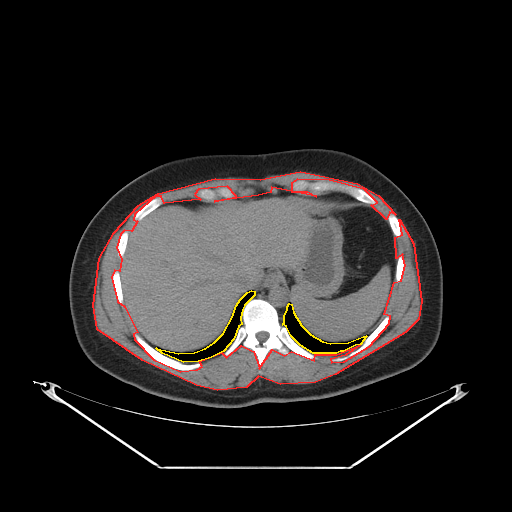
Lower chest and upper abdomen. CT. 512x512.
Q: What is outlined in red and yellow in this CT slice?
A: red: muscle; yellow: thoracic cavity.
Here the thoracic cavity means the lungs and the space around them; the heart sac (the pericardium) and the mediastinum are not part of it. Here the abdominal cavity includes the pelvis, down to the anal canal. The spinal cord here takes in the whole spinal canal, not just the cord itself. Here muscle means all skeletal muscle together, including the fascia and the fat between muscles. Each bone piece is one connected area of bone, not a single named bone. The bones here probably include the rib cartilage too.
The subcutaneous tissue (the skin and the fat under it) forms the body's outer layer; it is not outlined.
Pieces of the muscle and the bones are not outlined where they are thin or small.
{"muscle":[[[300,171],[357,183],[378,195],[395,214],[389,212],[386,219],[371,205],[377,202],[364,189],[329,180],[297,179],[291,183],[291,191],[307,191],[316,196],[271,187],[270,192],[258,195],[214,201],[236,196],[227,186],[198,189],[194,194],[200,199],[164,203],[161,196],[155,196],[134,214],[133,219],[137,221],[131,231],[124,230],[120,234],[116,247],[121,259],[119,271],[114,270],[111,277],[117,301],[124,306],[137,332],[133,334],[134,339],[153,359],[180,371],[197,369],[202,366],[199,361],[221,352],[226,357],[241,345],[253,351],[259,368],[272,349],[284,355],[291,351],[314,360],[315,354],[336,354],[359,345],[345,355],[330,359],[331,362],[344,361],[369,346],[389,323],[390,316],[384,314],[394,282],[401,280],[405,265],[402,254],[396,258],[395,237],[402,234],[399,219],[413,243],[421,301],[418,319],[405,332],[335,374],[315,382],[280,384],[258,376],[246,387],[217,390],[196,385],[142,360],[97,329],[93,305],[99,258],[114,232],[138,205],[158,193],[215,178],[260,179]]],"thoracic_cavity":[[[251,290],[254,291],[254,295],[244,305],[242,309],[240,318],[241,324],[238,326],[233,339],[223,351],[211,357],[198,361],[183,362],[162,353],[156,348],[178,353],[194,352],[205,348],[214,342],[223,333],[232,317],[236,305],[240,299],[247,292]],[[289,303],[291,304],[293,312],[301,325],[310,334],[322,341],[330,343],[348,342],[363,336],[366,336],[360,344],[355,345],[343,351],[340,351],[336,353],[313,353],[300,345],[291,336],[286,326],[282,324],[284,323],[284,316],[287,309],[287,306]]],"mediastinum":[[[266,270],[272,270],[277,272],[282,278],[285,284],[285,288],[287,290],[289,302],[286,306],[286,309],[283,316],[283,323],[281,323],[280,321],[278,311],[271,303],[265,299],[253,297],[255,295],[255,291],[257,286],[260,282],[261,277],[263,273]],[[325,192],[339,192],[340,193],[343,193],[344,194],[346,194],[350,196],[352,198],[357,200],[356,201],[349,201],[348,202],[334,202],[333,201],[327,201],[321,198],[319,198],[317,196],[318,194],[321,194]]],"torso":[[[306,147],[342,150],[365,160],[393,181],[424,217],[438,248],[443,275],[442,325],[431,352],[405,372],[338,396],[231,409],[198,406],[151,395],[97,368],[77,342],[69,308],[68,283],[79,239],[103,204],[134,178],[171,159],[194,154],[264,153]]],"abdominal_cavity":[[[276,191],[334,203],[359,201],[387,220],[395,242],[394,281],[375,328],[348,341],[314,336],[296,316],[283,278],[266,269],[255,290],[239,299],[222,333],[205,347],[178,352],[146,341],[128,316],[120,277],[128,236],[136,223],[169,202],[229,201]]],"bones":[{"outer":[[253,298],[262,299],[271,304],[277,311],[280,323],[285,326],[290,336],[304,349],[316,355],[316,358],[307,359],[291,350],[288,354],[284,354],[272,348],[259,367],[254,351],[241,344],[228,355],[223,356],[223,352],[242,324],[241,318],[245,305]],"hole":[[261,331],[264,331],[265,332],[267,332],[268,333],[268,337],[264,341],[263,341],[262,342],[260,342],[257,339],[257,338],[256,337],[256,334],[258,332],[260,332]]},[[297,180],[306,180],[310,182],[329,181],[349,184],[364,190],[373,197],[376,202],[375,204],[370,205],[364,203],[346,193],[339,191],[325,191],[316,194],[310,193],[307,190],[301,192],[296,192],[291,190],[291,185],[294,181]],[[135,333],[137,333],[142,338],[143,338],[146,342],[162,354],[172,359],[187,364],[191,364],[192,363],[199,362],[201,363],[201,366],[190,370],[180,370],[168,366],[156,360],[148,354],[141,347],[135,339],[134,337],[134,334]],[[386,316],[389,316],[389,320],[387,325],[383,331],[369,345],[359,352],[354,354],[352,356],[350,356],[344,360],[342,360],[341,361],[331,361],[331,359],[333,358],[345,356],[352,351],[355,350],[363,342],[366,337],[368,336],[376,328],[383,318]],[[221,187],[227,187],[232,190],[235,193],[235,196],[234,197],[230,197],[229,198],[226,198],[225,197],[217,197],[216,199],[213,201],[206,201],[205,200],[202,200],[196,196],[195,194],[198,190],[201,189],[207,188],[208,189],[213,189],[215,190]],[[155,197],[161,197],[163,199],[163,203],[161,205],[160,205],[158,207],[157,207],[155,209],[148,213],[141,219],[139,220],[135,220],[134,219],[134,216],[135,214],[139,210],[139,209],[141,207],[142,207],[148,201]],[[116,270],[119,272],[119,277],[120,278],[120,282],[121,283],[121,290],[123,295],[123,304],[122,305],[121,305],[118,301],[118,299],[116,296],[116,294],[114,290],[114,287],[113,286],[113,279],[112,277],[113,276],[113,273],[114,271]],[[391,212],[392,212],[397,217],[399,221],[399,223],[400,224],[400,228],[401,229],[401,234],[399,237],[397,237],[393,234],[392,232],[392,230],[390,227],[390,225],[387,219],[387,217],[389,213]],[[124,231],[127,231],[128,232],[128,235],[127,236],[127,243],[126,244],[126,246],[125,247],[125,250],[124,251],[123,256],[121,258],[120,258],[118,256],[118,255],[117,254],[117,247],[118,246],[118,241],[119,240],[119,238],[120,237],[121,234]],[[399,255],[402,255],[402,256],[403,257],[403,259],[404,260],[404,265],[403,266],[403,272],[402,273],[401,278],[400,279],[400,280],[398,282],[397,282],[396,281],[395,281],[395,270],[396,269],[396,262],[397,261],[397,259],[398,258]]],"spinal_cord":[[[261,331],[264,331],[265,332],[267,332],[268,333],[268,337],[264,341],[263,341],[262,342],[260,342],[257,339],[257,338],[256,337],[256,334],[258,332],[260,332]]]}